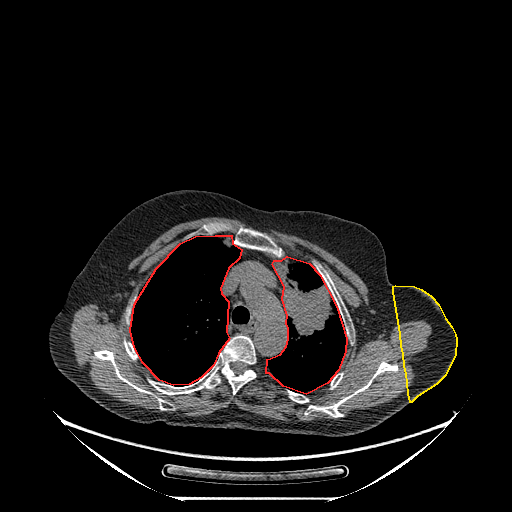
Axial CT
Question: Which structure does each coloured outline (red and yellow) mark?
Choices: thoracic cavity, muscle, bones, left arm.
Answer: red: thoracic cavity; yellow: left arm.
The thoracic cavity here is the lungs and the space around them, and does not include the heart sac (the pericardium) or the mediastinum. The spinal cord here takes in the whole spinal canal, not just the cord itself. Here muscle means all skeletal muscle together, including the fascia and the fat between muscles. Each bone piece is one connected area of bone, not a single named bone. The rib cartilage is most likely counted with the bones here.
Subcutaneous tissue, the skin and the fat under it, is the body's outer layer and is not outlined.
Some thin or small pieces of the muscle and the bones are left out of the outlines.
The thoracic cavity appears in 2 outlined pieces: piece 1: [[215,235],[231,235],[232,243],[241,249],[239,258],[228,268],[220,288],[221,293],[228,301],[226,332],[229,338],[218,353],[213,365],[201,377],[189,384],[173,385],[159,380],[143,363],[134,347],[130,330],[134,304],[156,268],[180,243],[195,236]]; piece 2: [[287,256],[309,263],[319,274],[336,306],[346,338],[345,351],[338,370],[327,383],[306,394],[283,386],[269,373],[266,373],[267,359],[280,354],[286,346],[288,339],[288,328],[286,323],[287,315],[282,299],[284,286],[272,264],[274,260],[281,260]]. The left arm is outlined by [[395,285],[414,286],[421,289],[431,296],[438,304],[445,318],[451,326],[455,334],[456,339],[455,355],[444,376],[436,384],[417,396],[411,402],[410,402],[408,393],[406,373],[404,366],[403,353],[401,346],[400,333],[393,292],[393,286]]. The torso is outlined by [[182,189],[221,193],[262,210],[319,211],[357,222],[371,230],[383,246],[388,279],[394,284],[392,292],[409,403],[378,425],[345,436],[180,426],[123,418],[96,403],[66,378],[60,372],[58,312],[73,280],[103,237],[129,211],[155,196]]. The bones appear in 9 outlined pieces: piece 1: [[237,334],[246,335],[252,340],[257,358],[266,375],[264,374],[250,380],[235,395],[232,394],[231,386],[224,377],[212,389],[202,388],[190,393],[172,395],[157,391],[147,381],[146,378],[150,377],[173,386],[185,386],[194,383],[211,369],[230,337]], around a hole outlined by [[237,361],[239,361],[240,362],[242,362],[243,363],[244,363],[246,365],[247,365],[247,367],[243,371],[243,372],[242,373],[240,373],[239,374],[236,374],[234,372],[234,371],[231,368],[231,364],[232,363],[233,363],[234,362],[236,362]]; piece 2: [[382,361],[397,364],[398,370],[380,373],[366,389],[340,405],[338,410],[345,414],[344,417],[333,418],[321,411],[311,411],[305,416],[304,412],[308,405],[293,401],[282,391],[284,387],[305,394],[309,396],[310,402],[314,405],[331,405],[365,385]]; piece 3: [[240,224],[242,224],[245,226],[251,226],[269,234],[272,237],[273,240],[283,249],[285,253],[285,256],[281,259],[275,258],[271,255],[268,255],[259,250],[248,249],[247,248],[240,248],[235,245],[233,243],[233,239],[235,236],[235,232]]; piece 4: [[310,257],[314,257],[319,260],[328,271],[336,286],[337,290],[347,307],[355,328],[355,341],[354,344],[351,346],[347,343],[347,338],[346,337],[346,332],[345,331],[344,324],[342,318],[338,312],[337,306],[332,298],[332,296],[322,277],[311,264]]; piece 5: [[105,349],[113,352],[114,360],[119,372],[125,378],[138,387],[151,391],[158,397],[171,402],[176,407],[176,409],[165,411],[160,410],[158,407],[158,401],[154,396],[151,394],[138,391],[118,378],[112,363],[109,360],[103,360],[94,355],[95,351]]; piece 6: [[217,220],[228,220],[230,222],[231,222],[231,223],[233,225],[233,229],[232,230],[223,231],[214,235],[195,235],[192,237],[190,237],[182,241],[182,239],[184,237],[184,236],[193,231],[195,231],[203,224],[210,222],[211,221],[216,221]]; piece 7: [[134,292],[137,292],[138,294],[137,295],[137,298],[133,304],[133,307],[132,308],[132,312],[131,313],[131,323],[130,324],[130,328],[129,328],[126,324],[126,322],[125,321],[125,317],[124,316],[125,314],[125,307],[128,303],[128,300],[129,298]]; piece 8: [[123,337],[125,337],[127,340],[130,340],[131,341],[131,342],[133,345],[133,347],[139,357],[139,359],[138,360],[137,360],[136,361],[133,361],[126,352],[126,351],[125,350],[125,348],[124,347],[124,345],[123,344]]; piece 9: [[338,371],[343,371],[344,372],[344,376],[343,377],[343,378],[341,380],[341,381],[339,383],[339,384],[335,388],[334,388],[333,389],[332,389],[331,390],[329,390],[328,389],[328,383],[331,380],[331,379],[335,375],[335,374]]. The spinal cord is outlined by [[237,361],[239,361],[240,362],[242,362],[243,363],[244,363],[246,365],[247,365],[247,367],[243,371],[243,372],[242,373],[240,373],[239,374],[236,374],[234,372],[234,371],[231,368],[231,364],[232,363],[233,363],[234,362],[236,362]]. The mediastinum is outlined by [[242,249],[259,251],[275,259],[279,259],[274,259],[271,264],[283,286],[281,299],[286,315],[287,339],[280,353],[266,359],[266,372],[260,363],[253,340],[246,334],[237,333],[229,336],[227,332],[229,301],[222,293],[221,288],[229,268],[240,258]]. The right arm is outlined by [[57,313],[57,328],[58,329],[58,362],[59,363],[59,371],[55,366],[55,365],[51,358],[51,356],[50,355],[50,353],[49,352],[49,348],[48,347],[48,332],[49,331],[49,328],[50,327],[50,325],[54,320],[54,318],[57,314]]. The muscle appears in 3 outlined pieces: piece 1: [[92,303],[100,306],[112,322],[118,320],[124,308],[124,321],[130,331],[130,339],[122,337],[124,350],[133,362],[140,360],[155,376],[158,380],[150,376],[145,379],[161,394],[172,396],[212,390],[224,378],[235,396],[250,381],[269,374],[283,387],[281,391],[290,400],[307,405],[303,412],[305,417],[311,412],[321,412],[332,418],[284,421],[235,405],[205,415],[182,416],[113,398],[83,377],[70,339],[75,311]], around a hole outlined by [[105,349],[113,352],[114,360],[119,372],[125,378],[138,387],[151,391],[158,397],[171,402],[176,407],[176,409],[165,411],[160,410],[158,407],[158,401],[154,396],[151,394],[138,391],[118,378],[112,363],[109,360],[103,360],[94,355],[95,351]]; piece 2: [[421,319],[432,331],[417,375],[404,392],[351,415],[339,410],[377,376],[399,370],[397,363],[382,360],[351,393],[331,404],[311,402],[307,393],[326,384],[331,391],[344,378],[339,368],[347,344],[355,344],[356,329],[361,345],[381,339],[397,324]]; piece 3: [[207,216],[236,218],[252,225],[283,230],[308,239],[333,254],[361,278],[368,288],[368,303],[363,303],[355,309],[353,320],[329,271],[319,259],[310,256],[310,263],[291,255],[286,256],[284,249],[269,233],[251,225],[240,223],[233,238],[231,234],[218,234],[234,229],[234,225],[228,219],[205,222],[184,235],[155,268],[139,292],[134,291],[128,299],[128,295],[140,281],[137,269],[129,269],[129,263],[172,226]].